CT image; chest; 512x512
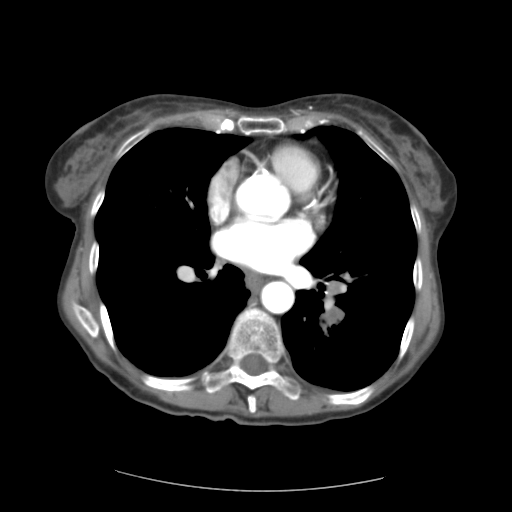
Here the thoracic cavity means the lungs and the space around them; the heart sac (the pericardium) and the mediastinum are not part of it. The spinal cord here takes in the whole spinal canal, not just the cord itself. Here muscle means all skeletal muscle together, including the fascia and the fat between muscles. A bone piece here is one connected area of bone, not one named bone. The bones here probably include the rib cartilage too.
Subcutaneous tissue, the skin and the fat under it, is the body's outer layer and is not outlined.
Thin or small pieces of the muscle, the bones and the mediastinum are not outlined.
{"spinal_cord":[[[249,354],[258,354],[260,355],[265,361],[266,363],[266,365],[267,366],[267,368],[261,373],[259,374],[256,374],[255,375],[252,375],[246,372],[241,367],[240,364],[243,358],[245,356]]],"thoracic_cavity":[[[172,127],[203,128],[250,139],[214,172],[205,197],[209,244],[215,261],[222,267],[231,264],[242,272],[243,285],[249,296],[216,359],[202,369],[180,377],[145,372],[116,344],[108,310],[97,286],[100,247],[94,232],[95,217],[116,163],[152,132]],[[321,125],[354,132],[395,170],[406,192],[416,233],[414,300],[397,355],[373,382],[351,391],[329,389],[300,377],[288,361],[281,331],[282,318],[294,305],[300,288],[300,260],[331,224],[338,197],[338,172],[327,146],[314,133],[305,138],[296,136]]],"torso":[[[160,92],[249,106],[355,93],[409,120],[441,155],[457,182],[455,211],[437,250],[444,332],[412,379],[388,399],[316,427],[238,427],[231,419],[174,416],[135,401],[90,363],[56,311],[75,228],[47,200],[45,168],[54,150],[84,123],[122,102]]],"bones":[{"outer":[[247,307],[262,310],[278,325],[287,361],[276,368],[296,380],[301,389],[297,399],[290,399],[268,384],[250,390],[232,382],[210,393],[198,379],[192,389],[180,391],[154,388],[142,381],[143,373],[180,378],[224,369],[227,360],[216,360],[236,317]],"hole":[[249,354],[258,354],[260,355],[265,361],[266,363],[266,365],[267,366],[267,368],[261,373],[259,374],[256,374],[255,375],[252,375],[246,372],[241,367],[240,364],[243,358],[245,356]]},[[203,114],[214,114],[233,119],[242,115],[263,117],[276,116],[280,118],[301,115],[305,117],[329,117],[330,122],[328,124],[314,126],[302,133],[290,131],[278,134],[255,133],[245,135],[238,132],[217,133],[208,129],[201,124],[198,118],[198,116]],[[372,383],[374,383],[375,384],[375,387],[374,388],[373,392],[365,401],[361,403],[359,403],[358,404],[331,404],[327,401],[328,400],[325,396],[326,394],[328,394],[329,393],[338,393],[339,392],[351,392],[352,391],[355,391],[361,388],[363,388]],[[72,302],[75,302],[83,306],[91,313],[92,316],[98,324],[98,326],[99,327],[99,329],[98,330],[98,335],[96,337],[93,337],[91,336],[90,334],[83,327],[83,326],[80,323],[80,322],[76,317],[73,311],[73,309],[72,308]],[[147,126],[151,126],[153,128],[153,131],[146,135],[134,145],[133,145],[125,153],[124,153],[123,155],[118,160],[115,160],[114,156],[116,152],[118,150],[120,146],[124,142],[124,141],[125,141],[130,136],[131,136],[136,132],[143,129]],[[101,300],[105,305],[105,307],[107,310],[107,313],[108,314],[109,320],[111,324],[111,328],[113,332],[113,336],[114,337],[115,344],[117,348],[116,351],[114,351],[110,346],[105,336],[103,328],[101,325],[100,315],[99,314],[99,303]],[[357,129],[362,129],[363,130],[363,131],[364,132],[365,132],[393,160],[393,161],[395,163],[395,164],[397,166],[397,170],[396,170],[391,165],[390,165],[386,161],[385,161],[375,151],[374,151],[355,132],[356,131],[356,130]],[[411,314],[413,315],[413,317],[414,318],[414,327],[413,328],[413,332],[412,333],[409,344],[404,355],[399,361],[397,361],[397,356],[399,352],[399,348],[400,347],[400,343],[401,342],[402,335],[403,334],[405,326],[407,323],[407,321]],[[417,255],[418,255],[420,257],[420,259],[421,260],[421,264],[422,265],[422,283],[421,284],[421,288],[418,291],[416,291],[415,290],[415,288],[414,287],[414,284],[413,283],[413,268],[414,267],[414,262],[415,261],[415,259],[416,258],[416,256]],[[95,239],[97,241],[97,242],[98,243],[98,246],[99,247],[99,249],[98,250],[98,262],[97,263],[97,269],[96,270],[96,272],[94,274],[91,274],[89,271],[89,253],[90,252],[90,248],[91,247],[91,245],[92,244],[92,242]],[[104,187],[105,187],[105,192],[104,193],[104,196],[103,197],[103,200],[102,201],[95,216],[94,217],[92,217],[90,214],[90,211],[91,210],[91,207],[92,206],[92,204],[93,203],[94,198],[95,197],[96,194],[99,191],[99,190],[100,190]]],"muscle":[{"outer":[[216,107],[255,114],[281,113],[291,108],[340,114],[359,124],[380,142],[411,180],[431,229],[430,261],[440,311],[439,328],[432,343],[405,375],[359,407],[302,416],[249,417],[229,411],[174,405],[142,391],[102,362],[63,311],[61,296],[82,238],[84,206],[103,163],[132,134],[115,152],[113,158],[117,161],[90,207],[95,238],[89,248],[88,271],[95,274],[100,297],[99,320],[109,346],[114,352],[118,348],[144,372],[140,379],[146,386],[168,392],[190,391],[198,380],[211,394],[232,383],[241,384],[250,391],[268,385],[290,400],[297,400],[302,392],[297,380],[277,368],[288,362],[306,382],[338,392],[324,395],[329,404],[358,405],[371,396],[376,387],[374,382],[394,360],[399,362],[403,358],[415,327],[412,313],[415,291],[418,292],[423,283],[422,260],[417,254],[417,235],[422,231],[422,223],[416,204],[409,201],[394,160],[362,128],[353,131],[329,124],[329,116],[242,114],[233,118],[203,113],[197,116],[203,127],[172,126],[154,131],[151,125],[147,125],[138,130],[160,116]],"holes":[[[72,302],[75,302],[83,306],[91,313],[92,316],[98,324],[98,326],[99,327],[99,329],[98,330],[98,335],[96,337],[93,337],[91,336],[90,334],[83,327],[83,326],[80,323],[80,322],[76,317],[73,311],[73,309],[72,308]],[[251,393],[252,394],[253,394],[255,396],[255,402],[256,403],[256,410],[254,412],[250,412],[249,411],[249,409],[248,408],[248,402],[247,401],[247,396],[249,394],[250,394]]]},[[225,359],[227,362],[227,365],[224,368],[218,369],[217,370],[209,370],[208,369],[204,369],[199,374],[198,376],[196,375],[191,375],[192,374],[194,374],[196,372],[200,370],[202,370],[204,368],[212,364],[215,361],[219,361],[220,360],[224,360]]],"pericardium":[[[282,138],[292,138],[296,140],[313,139],[321,145],[327,156],[333,162],[337,172],[337,197],[331,212],[329,225],[311,249],[299,260],[297,267],[289,274],[268,275],[244,269],[214,252],[210,244],[211,230],[206,197],[212,176],[226,159],[255,142]]],"mediastinum":[[[299,263],[302,269],[297,277],[297,285],[299,288],[295,293],[293,305],[281,318],[280,328],[276,321],[262,309],[251,306],[245,307],[250,296],[250,291],[244,285],[243,272],[236,266],[257,274],[268,276],[285,276],[286,274],[289,275],[297,268]],[[290,132],[300,133],[295,135],[295,136],[296,137],[297,138],[299,139],[305,139],[306,138],[309,137],[313,134],[316,135],[326,146],[335,163],[335,166],[334,162],[328,156],[322,145],[316,139],[313,138],[312,139],[296,139],[292,137],[269,138],[258,140],[247,145],[251,142],[251,139],[246,136],[255,134],[278,135]]]}